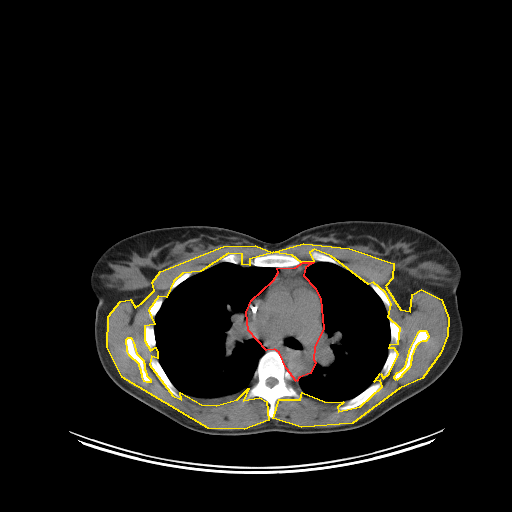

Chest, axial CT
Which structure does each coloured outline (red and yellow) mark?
red: mediastinum; yellow: muscle.
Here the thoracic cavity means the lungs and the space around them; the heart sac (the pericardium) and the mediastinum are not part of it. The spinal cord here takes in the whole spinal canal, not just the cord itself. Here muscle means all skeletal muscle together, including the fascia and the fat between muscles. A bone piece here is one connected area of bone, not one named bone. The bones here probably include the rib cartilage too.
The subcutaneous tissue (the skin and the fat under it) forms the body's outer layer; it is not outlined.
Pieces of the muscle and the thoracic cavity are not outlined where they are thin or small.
{"mediastinum":[[[303,262],[313,262],[305,267],[303,275],[314,287],[320,298],[323,328],[314,347],[313,359],[315,362],[310,373],[299,377],[296,381],[286,368],[279,352],[274,349],[266,350],[248,330],[246,312],[251,300],[273,280],[278,272],[277,268],[295,267]]],"muscle":[{"outer":[[303,243],[349,248],[393,263],[392,278],[385,286],[400,309],[410,311],[412,294],[421,289],[441,299],[448,318],[447,335],[440,353],[422,378],[399,388],[352,423],[301,427],[273,418],[279,399],[300,399],[302,392],[324,401],[343,402],[337,407],[338,411],[360,406],[382,386],[380,380],[374,381],[380,373],[383,378],[389,373],[398,354],[394,348],[389,348],[390,344],[398,343],[400,328],[388,317],[391,303],[385,292],[373,282],[368,284],[331,256],[314,249],[309,252],[313,261],[301,262],[292,255],[273,252],[249,259],[249,265],[242,264],[242,254],[228,253],[200,271],[182,273],[173,281],[166,297],[158,296],[148,310],[154,324],[144,326],[144,340],[150,350],[155,347],[157,352],[157,358],[151,356],[149,364],[172,395],[181,399],[180,392],[201,404],[216,405],[237,399],[248,388],[243,400],[259,397],[266,401],[268,420],[244,429],[208,428],[122,377],[107,347],[108,316],[120,301],[130,299],[135,307],[141,303],[154,290],[152,282],[160,271],[223,246],[255,245],[272,252]],"holes":[[[420,330],[425,330],[428,335],[428,337],[425,341],[422,341],[418,343],[415,346],[411,356],[411,360],[410,361],[410,365],[409,367],[401,375],[401,376],[396,380],[394,378],[394,376],[397,372],[401,370],[405,366],[410,348],[418,332]],[[128,337],[130,337],[131,338],[133,342],[136,353],[143,360],[143,362],[144,363],[144,369],[145,370],[146,375],[150,379],[150,382],[146,382],[144,381],[142,377],[142,374],[141,373],[141,370],[140,369],[139,364],[129,355],[127,351],[126,339]]]}],"spinal_cord":[[[270,377],[272,377],[273,378],[275,378],[277,380],[277,382],[273,386],[269,386],[268,385],[267,385],[266,384],[266,380],[268,378],[269,378]]],"torso":[[[346,220],[387,221],[418,228],[444,244],[461,270],[456,294],[463,334],[456,356],[433,383],[372,422],[329,433],[201,433],[133,397],[102,367],[94,338],[98,300],[90,287],[90,275],[98,258],[117,241],[155,228],[206,225],[274,243],[313,226]]],"bones":[{"outer":[[268,350],[278,352],[282,358],[285,368],[289,371],[293,380],[297,382],[302,391],[300,393],[300,398],[293,396],[283,396],[279,398],[275,402],[275,414],[272,418],[270,418],[267,414],[269,404],[263,398],[255,396],[244,400],[252,383],[258,362]],"hole":[[270,377],[272,377],[273,378],[275,378],[277,380],[277,382],[273,386],[269,386],[268,385],[267,385],[266,384],[266,380],[268,378],[269,378]]},[[273,253],[292,256],[296,259],[298,259],[300,261],[300,263],[298,265],[289,266],[288,267],[272,267],[271,266],[255,266],[254,265],[250,265],[248,264],[248,261],[249,260],[251,260],[257,256],[262,256],[263,255],[267,255]],[[378,381],[380,381],[381,382],[381,386],[375,392],[375,393],[365,402],[362,403],[356,407],[354,407],[350,409],[347,409],[346,410],[338,410],[338,407],[340,405],[343,404],[345,401],[355,397],[364,390],[365,390],[371,384],[374,382],[377,382]],[[151,357],[154,357],[158,360],[164,372],[166,374],[166,375],[168,377],[170,381],[173,384],[173,385],[178,390],[179,393],[181,395],[181,398],[178,398],[173,394],[172,394],[163,385],[163,384],[159,380],[159,379],[155,374],[150,364],[150,358]],[[420,330],[425,330],[428,335],[428,337],[425,341],[422,341],[418,343],[415,346],[411,356],[411,360],[410,361],[410,365],[409,367],[401,375],[401,376],[396,380],[394,378],[394,376],[397,372],[401,370],[405,366],[410,348],[418,332]],[[128,337],[130,337],[131,338],[133,342],[136,353],[143,360],[143,362],[144,363],[144,369],[145,370],[146,375],[150,379],[150,382],[146,382],[144,381],[142,377],[142,374],[141,373],[141,370],[140,369],[139,364],[129,355],[127,351],[126,339]],[[389,349],[394,349],[396,351],[397,354],[396,355],[396,358],[393,363],[393,365],[392,366],[392,367],[390,369],[390,370],[388,372],[388,373],[384,377],[383,377],[382,374],[380,372],[381,371],[381,370],[382,369],[382,367],[387,358]],[[313,250],[315,251],[318,251],[321,253],[323,253],[331,257],[333,259],[337,261],[339,265],[338,264],[335,264],[334,263],[332,263],[331,262],[328,262],[327,261],[314,261],[312,260],[310,258],[310,252]],[[146,325],[152,325],[153,326],[153,328],[154,329],[154,337],[155,338],[155,346],[153,348],[152,348],[151,349],[150,349],[148,347],[148,346],[147,345],[147,344],[146,343],[146,341],[145,340],[145,332],[144,331],[144,329],[145,328],[145,326]],[[390,319],[392,319],[394,321],[395,321],[396,322],[396,323],[398,325],[398,327],[399,328],[399,337],[398,338],[398,341],[396,344],[392,344],[391,343],[390,343],[390,340],[391,339],[391,330],[390,329],[390,325],[389,324],[389,320]],[[370,283],[373,283],[375,285],[378,286],[384,292],[384,293],[388,298],[388,299],[389,300],[389,302],[390,303],[390,308],[388,310],[387,310],[386,309],[386,308],[385,307],[382,300],[380,298],[380,297],[370,286],[370,285],[369,284]],[[231,253],[235,253],[236,254],[240,254],[241,255],[242,255],[243,256],[243,260],[241,262],[241,263],[233,263],[232,262],[227,262],[226,261],[220,261],[220,260],[223,257],[224,257],[226,255],[227,255],[228,254],[230,254]],[[158,297],[161,297],[163,299],[163,301],[162,302],[162,303],[161,304],[161,305],[160,306],[159,309],[157,311],[156,314],[153,317],[150,317],[149,316],[149,310],[150,309],[150,307],[151,306],[152,303]],[[187,271],[190,271],[193,274],[192,274],[189,277],[186,278],[183,281],[182,281],[180,283],[179,283],[173,289],[170,290],[170,287],[172,285],[172,284],[174,282],[174,281],[177,278],[178,278],[182,274],[183,274],[185,272],[186,272]]],"thoracic_cavity":[[[220,262],[244,266],[271,267],[276,268],[277,272],[269,284],[250,300],[245,312],[247,330],[265,348],[264,353],[257,362],[250,385],[233,400],[216,404],[204,404],[189,398],[179,391],[162,367],[156,349],[155,316],[164,300],[179,284],[192,275]],[[314,262],[338,265],[360,278],[379,297],[388,318],[390,339],[387,355],[379,373],[365,389],[344,401],[324,400],[311,396],[305,393],[298,384],[299,378],[309,375],[314,367],[316,362],[314,359],[315,347],[324,328],[321,298],[304,275],[306,267]]]}